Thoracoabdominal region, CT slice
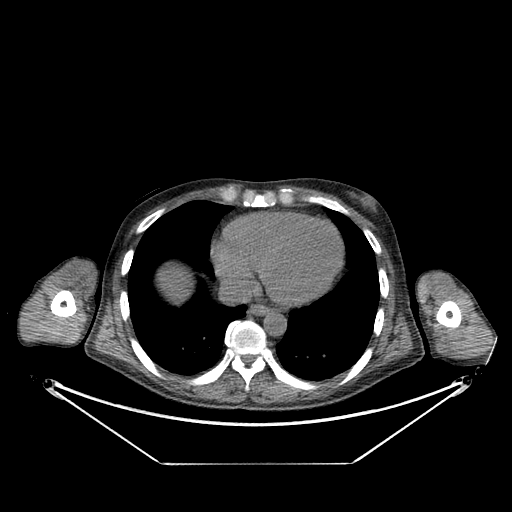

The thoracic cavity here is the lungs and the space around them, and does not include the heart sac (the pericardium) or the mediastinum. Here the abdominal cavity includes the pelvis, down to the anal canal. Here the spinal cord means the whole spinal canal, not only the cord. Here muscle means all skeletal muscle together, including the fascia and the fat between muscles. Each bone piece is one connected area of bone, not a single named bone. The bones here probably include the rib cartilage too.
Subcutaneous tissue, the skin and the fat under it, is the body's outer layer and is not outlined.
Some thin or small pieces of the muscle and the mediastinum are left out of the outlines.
{"bones":[{"outer":[[237,319],[257,323],[263,329],[267,346],[280,365],[292,375],[319,385],[318,388],[306,390],[291,387],[277,379],[267,366],[252,376],[248,391],[244,389],[242,376],[230,366],[212,382],[188,384],[187,380],[209,370],[222,358],[226,349],[226,328]],"hole":[[246,354],[251,354],[252,355],[254,355],[255,356],[255,359],[248,366],[247,365],[246,365],[243,362],[243,361],[241,359],[241,356],[242,355],[245,355]]},[[230,185],[233,185],[240,192],[245,189],[249,189],[256,193],[265,193],[270,190],[276,191],[283,187],[291,188],[295,194],[295,201],[291,205],[277,203],[266,207],[244,206],[242,205],[240,198],[233,202],[222,202],[218,193],[220,190],[227,188]],[[60,289],[68,289],[70,290],[75,300],[75,304],[76,305],[76,311],[72,315],[70,316],[68,316],[67,317],[62,317],[61,316],[58,316],[52,313],[51,311],[51,309],[50,308],[50,304],[51,303],[52,298]],[[444,300],[452,300],[456,302],[456,303],[458,305],[460,309],[460,311],[461,312],[461,320],[460,321],[460,323],[459,325],[455,328],[444,326],[442,324],[439,323],[436,319],[436,313],[438,310],[438,308]],[[129,337],[133,337],[138,341],[139,344],[147,354],[147,355],[157,365],[157,368],[159,370],[159,371],[166,377],[165,379],[162,379],[158,377],[156,375],[152,373],[144,366],[144,365],[139,360],[139,359],[135,354],[131,346],[131,344],[129,340]],[[302,195],[319,195],[320,196],[324,196],[325,197],[336,200],[341,205],[342,205],[347,210],[348,210],[348,211],[350,213],[350,215],[348,216],[339,211],[328,208],[321,204],[318,204],[317,203],[311,203],[310,202],[302,201],[300,200],[300,197]],[[367,347],[372,347],[373,348],[373,350],[372,351],[372,354],[368,362],[356,375],[355,375],[352,378],[348,380],[342,385],[339,385],[338,386],[336,386],[336,385],[346,375],[348,370],[359,359],[359,358],[362,355],[362,354],[364,352],[364,351]],[[163,207],[164,208],[165,208],[165,212],[162,215],[161,215],[156,220],[155,220],[143,232],[142,232],[141,233],[136,233],[135,232],[135,231],[136,230],[138,225],[140,223],[140,222],[146,216],[151,214],[153,212],[156,211],[158,209],[160,209]],[[379,267],[382,267],[383,268],[384,268],[384,269],[386,272],[386,274],[387,275],[387,278],[388,279],[388,283],[389,284],[388,293],[387,294],[387,296],[385,298],[383,298],[381,296],[380,296],[380,288],[379,287],[379,276],[378,275],[378,268]],[[123,289],[124,290],[126,290],[127,292],[127,299],[128,300],[128,304],[129,305],[129,318],[126,321],[124,321],[123,320],[123,318],[121,314],[121,311],[120,310],[120,306],[119,305],[119,298],[120,297],[120,292],[121,290]],[[363,227],[365,227],[366,228],[369,229],[373,233],[373,234],[375,236],[375,237],[376,238],[376,239],[381,248],[381,253],[380,254],[376,254],[374,252],[371,245],[369,243],[368,240],[366,238],[365,235],[363,233],[363,232],[361,229]],[[379,307],[382,307],[383,308],[383,311],[384,312],[384,320],[383,321],[383,325],[381,328],[380,333],[378,335],[378,336],[376,336],[373,333],[373,326],[374,325],[374,321],[375,320],[375,316],[376,315],[377,310]],[[130,248],[132,248],[134,249],[134,252],[133,253],[133,256],[132,257],[132,260],[130,264],[130,267],[129,268],[129,270],[127,274],[123,276],[121,274],[121,265],[122,264],[122,262],[123,261],[123,258],[124,257],[124,255],[126,251]]],"muscle":[[[281,185],[335,195],[374,224],[394,269],[395,309],[402,312],[411,334],[413,348],[409,353],[323,398],[257,403],[250,398],[229,402],[178,394],[133,369],[125,361],[99,353],[93,347],[107,300],[112,294],[113,272],[126,236],[132,226],[143,218],[134,231],[142,233],[137,245],[128,248],[122,258],[120,274],[123,277],[127,275],[127,288],[120,290],[118,305],[122,320],[131,320],[135,337],[128,337],[130,346],[152,374],[162,380],[167,378],[159,366],[174,374],[195,376],[185,382],[199,386],[214,382],[230,367],[243,379],[245,392],[250,390],[253,376],[267,367],[277,380],[291,388],[306,391],[319,388],[319,384],[311,381],[323,381],[346,372],[335,385],[338,387],[356,376],[373,354],[374,348],[368,346],[372,334],[378,337],[384,325],[385,312],[379,306],[379,300],[388,296],[390,284],[385,268],[377,267],[376,263],[376,255],[382,253],[382,248],[374,233],[365,226],[360,228],[349,217],[349,210],[336,199],[302,194],[299,197],[301,201],[295,203],[296,194],[291,187],[270,189]],{"outer":[[73,259],[83,259],[91,262],[94,265],[97,273],[95,285],[86,312],[87,320],[84,326],[84,330],[80,337],[76,341],[67,344],[46,341],[27,342],[23,340],[19,331],[19,320],[25,303],[40,287],[42,282],[48,276],[58,270],[67,262]],"hole":[[60,289],[68,289],[70,290],[75,300],[75,304],[76,305],[76,311],[72,315],[70,316],[68,316],[67,317],[62,317],[61,316],[58,316],[52,313],[51,311],[51,309],[50,308],[50,304],[51,303],[52,298]]},{"outer":[[432,271],[440,271],[448,274],[456,285],[468,294],[473,302],[475,310],[483,319],[491,331],[493,337],[492,343],[485,353],[471,358],[455,359],[444,356],[436,351],[432,330],[426,321],[427,320],[421,308],[417,294],[417,287],[421,277],[426,273]],"hole":[[444,300],[452,300],[456,302],[456,303],[458,305],[460,309],[460,311],[461,312],[461,320],[460,321],[460,323],[459,325],[455,328],[444,326],[442,324],[439,323],[436,319],[436,313],[438,310],[438,308]]},[[230,183],[241,184],[245,188],[247,188],[240,191],[233,184],[230,184],[227,187],[220,189],[217,193],[220,201],[210,199],[192,199],[182,203],[169,211],[166,212],[166,208],[163,206],[145,216],[146,213],[154,207],[186,192],[209,187],[221,186]]],"torso":[[[204,177],[256,181],[318,177],[356,186],[374,196],[389,215],[396,233],[410,306],[425,351],[422,359],[366,390],[332,404],[298,410],[264,411],[207,408],[174,401],[89,358],[84,351],[84,342],[100,302],[105,262],[122,220],[150,195],[175,184]]],"mediastinum":[[[215,276],[218,280],[250,293],[259,300],[271,305],[280,308],[293,308],[288,312],[286,330],[274,346],[274,349],[268,346],[267,335],[257,322],[252,319],[241,319],[246,314],[247,307],[245,304],[230,306],[217,302],[211,296],[208,278],[211,280]],[[299,202],[305,202],[311,204],[317,204],[325,207],[326,208],[325,209],[325,212],[330,219],[326,218],[323,216],[317,215],[314,213],[305,210],[300,210],[299,209],[288,208],[287,207],[267,207],[272,207],[277,204],[280,204],[284,206],[291,206]],[[222,203],[235,203],[236,204],[241,204],[241,205],[244,207],[261,208],[258,209],[246,209],[245,210],[241,210],[230,215],[221,223],[219,229],[213,236],[211,240],[211,243],[211,238],[217,224],[225,214],[228,213],[233,209],[233,206],[232,205]],[[345,265],[347,267],[347,270],[345,272],[345,273],[344,273],[343,274],[343,275],[340,278],[340,279],[337,282],[337,283],[334,286],[334,287],[332,289],[331,289],[334,286],[334,284],[335,284],[336,283],[336,282],[342,275],[342,272],[344,270]]],"abdominal_cavity":[[[170,258],[178,258],[189,264],[194,270],[198,272],[201,272],[207,276],[208,287],[206,282],[202,278],[199,277],[197,279],[197,285],[195,292],[192,297],[181,307],[173,307],[162,301],[156,293],[152,283],[153,275],[156,268],[161,264],[162,262]]],"thoracic_cavity":[[[192,200],[232,206],[210,238],[207,258],[214,277],[170,257],[155,268],[153,289],[162,302],[181,308],[200,278],[217,303],[243,304],[246,309],[244,316],[227,324],[221,358],[199,374],[182,375],[162,368],[140,344],[127,289],[143,233],[165,213]],[[327,208],[347,216],[361,230],[370,245],[375,254],[379,299],[372,333],[358,359],[347,371],[330,378],[314,381],[303,379],[286,370],[276,359],[272,350],[275,349],[287,330],[290,310],[307,306],[332,290],[348,270],[344,240],[337,226],[327,214]]],"left_arm":[[[428,268],[443,268],[451,272],[463,282],[473,293],[483,312],[495,329],[497,337],[489,356],[489,359],[485,365],[481,367],[452,367],[448,363],[440,359],[434,359],[430,355],[428,342],[419,318],[418,306],[414,293],[414,284],[417,276],[422,271]]],"pericardium":[[[262,208],[294,209],[323,217],[333,222],[341,235],[345,248],[345,264],[341,275],[326,293],[307,305],[294,308],[280,307],[259,299],[252,293],[240,289],[224,280],[218,279],[215,275],[210,258],[210,249],[212,240],[220,229],[222,223],[235,213]]],"right_arm":[[[74,255],[84,255],[92,258],[97,263],[100,272],[100,283],[98,284],[95,294],[95,305],[97,307],[90,329],[84,341],[82,341],[76,346],[66,349],[49,347],[25,347],[21,345],[16,337],[16,318],[22,300],[31,290],[37,279],[62,260]]],"spinal_cord":[[[246,354],[251,354],[252,355],[254,355],[255,356],[255,359],[248,366],[247,365],[246,365],[243,362],[243,361],[241,359],[241,356],[242,355],[245,355]]]}